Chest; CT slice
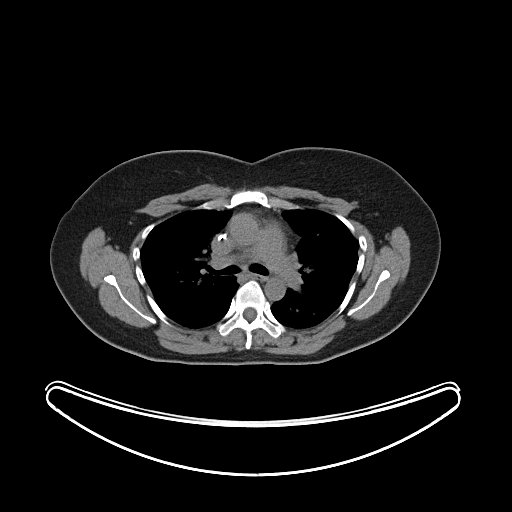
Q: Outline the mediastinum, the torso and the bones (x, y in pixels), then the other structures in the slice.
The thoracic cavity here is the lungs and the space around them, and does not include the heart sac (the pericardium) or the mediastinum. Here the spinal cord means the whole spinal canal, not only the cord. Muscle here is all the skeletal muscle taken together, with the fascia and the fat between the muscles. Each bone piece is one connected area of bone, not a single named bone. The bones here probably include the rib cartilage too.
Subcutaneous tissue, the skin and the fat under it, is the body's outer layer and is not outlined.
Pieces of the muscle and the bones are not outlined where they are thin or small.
A: The mediastinum is outlined by [[244,203],[284,209],[281,216],[299,236],[294,248],[294,266],[289,286],[283,297],[272,303],[266,298],[256,280],[250,279],[239,286],[236,277],[227,267],[220,269],[212,254],[210,242],[232,213],[229,209],[216,209],[222,207],[231,209]]. The torso is outlined by [[303,146],[352,150],[387,163],[421,195],[434,213],[441,237],[437,271],[411,315],[385,337],[314,364],[201,365],[154,361],[100,339],[78,319],[64,300],[51,273],[50,244],[62,215],[107,170],[128,159],[163,150],[207,150],[255,161],[274,152]]. The bones appear in 10 outlined pieces: piece 1: [[250,280],[254,280],[259,284],[265,298],[270,304],[272,314],[286,328],[286,330],[275,338],[264,329],[256,328],[251,333],[250,348],[246,349],[246,333],[243,329],[236,327],[228,334],[223,336],[219,333],[215,326],[227,312],[231,300],[238,288]], around a hole outlined by [[247,308],[252,308],[253,309],[254,309],[256,312],[256,315],[255,316],[255,317],[252,320],[251,320],[250,321],[249,321],[248,320],[247,320],[244,317],[244,316],[243,315],[243,313],[244,312],[244,311],[245,310],[245,309],[246,309]]; piece 2: [[243,190],[258,190],[265,193],[269,198],[276,197],[298,204],[302,207],[294,209],[285,209],[282,207],[266,207],[256,202],[244,202],[231,208],[226,208],[222,206],[212,209],[194,209],[193,208],[196,205],[210,200],[224,199],[228,201],[234,193]]; piece 3: [[109,274],[112,274],[114,275],[115,279],[123,295],[142,313],[147,316],[154,318],[156,320],[156,323],[154,324],[150,322],[145,318],[142,317],[124,302],[124,301],[120,297],[116,288],[113,285],[108,283],[104,280],[104,277],[106,275],[108,275]]; piece 4: [[385,269],[389,271],[389,273],[390,274],[389,275],[389,277],[380,282],[374,295],[365,305],[358,310],[355,311],[351,315],[349,315],[348,316],[347,315],[347,312],[350,309],[354,308],[362,303],[373,291],[374,286],[379,277],[380,273]]; piece 5: [[359,235],[363,235],[365,237],[367,247],[366,248],[366,250],[364,252],[364,261],[363,262],[362,269],[361,271],[358,274],[357,274],[355,271],[357,266],[357,262],[358,261],[359,253],[361,252],[361,250],[359,246],[359,242],[357,238]]; piece 6: [[147,294],[149,294],[151,296],[152,296],[153,299],[158,305],[160,309],[167,316],[168,318],[167,319],[169,321],[171,325],[168,325],[166,324],[164,322],[163,322],[156,315],[156,314],[151,308],[146,298],[146,295]]; piece 7: [[351,281],[355,281],[356,283],[355,285],[355,288],[354,289],[354,291],[347,305],[345,307],[345,308],[339,314],[337,314],[337,309],[340,305],[340,304],[342,302],[348,290],[348,288],[349,287],[349,285]]; piece 8: [[334,213],[338,213],[339,214],[340,214],[342,216],[343,216],[345,218],[346,218],[352,224],[352,225],[354,227],[354,229],[355,230],[355,231],[354,232],[354,234],[353,234],[351,232],[351,231],[343,222],[342,222],[337,217],[336,217],[333,214]]; piece 9: [[136,265],[138,265],[139,266],[140,266],[140,267],[141,268],[141,270],[142,271],[142,273],[144,276],[144,278],[145,279],[145,281],[146,282],[146,283],[144,285],[142,285],[139,282],[139,281],[136,276],[136,274],[135,273],[135,267],[136,266]]; piece 10: [[153,222],[156,224],[154,226],[154,227],[148,233],[148,234],[146,236],[146,237],[145,238],[145,239],[143,241],[141,238],[141,235],[142,234],[142,231],[143,230],[143,229],[148,224],[149,224],[150,223],[152,223]]. The muscle appears in 2 outlined pieces: piece 1: [[204,183],[247,189],[285,185],[315,190],[329,197],[359,201],[360,206],[352,210],[348,217],[369,230],[377,250],[385,235],[394,227],[401,225],[405,229],[410,241],[410,265],[404,283],[394,287],[389,301],[380,311],[366,319],[350,321],[330,342],[313,353],[276,354],[250,349],[252,333],[256,329],[262,329],[276,339],[287,328],[301,329],[315,326],[336,310],[336,314],[339,315],[355,291],[357,283],[351,280],[354,273],[358,275],[363,269],[367,240],[363,234],[356,237],[353,224],[338,212],[331,214],[317,208],[303,207],[276,196],[269,197],[258,189],[238,190],[228,200],[224,198],[206,200],[157,224],[151,222],[153,218],[136,209],[156,197],[179,193]]; inner edge: [[385,269],[389,271],[389,273],[390,274],[389,275],[389,277],[380,282],[374,295],[365,305],[358,310],[355,311],[351,315],[349,315],[348,316],[347,315],[347,312],[350,309],[354,308],[362,303],[373,291],[374,286],[379,277],[380,273]]; piece 2: [[97,225],[125,253],[142,229],[142,245],[131,252],[140,262],[134,273],[149,287],[151,295],[145,298],[163,323],[171,326],[169,318],[188,328],[215,324],[223,337],[239,328],[245,349],[181,353],[163,347],[151,329],[109,315],[79,268],[82,242]] with a hole at [[109,274],[112,274],[114,275],[115,279],[123,295],[142,313],[147,316],[154,318],[156,320],[156,323],[154,324],[150,322],[145,318],[142,317],[124,302],[124,301],[120,297],[116,288],[113,285],[108,283],[104,280],[104,277],[106,275],[108,275]]. The thoracic cavity appears in 2 outlined pieces: piece 1: [[190,209],[229,210],[231,213],[219,231],[212,236],[209,246],[211,248],[211,254],[219,269],[222,270],[227,268],[235,277],[238,287],[223,316],[215,323],[203,327],[184,326],[168,317],[154,299],[143,273],[140,261],[140,249],[155,226],[180,212]]; piece 2: [[302,208],[317,209],[337,218],[357,239],[359,251],[355,270],[347,290],[337,308],[325,319],[315,325],[294,328],[286,327],[275,317],[271,310],[271,304],[283,298],[290,286],[295,266],[295,248],[300,240],[300,236],[284,219],[282,213],[284,210]]. The spinal cord is outlined by [[247,308],[252,308],[253,309],[254,309],[256,312],[256,315],[255,316],[255,317],[252,320],[251,320],[250,321],[249,321],[248,320],[247,320],[244,317],[244,316],[243,315],[243,313],[244,312],[244,311],[245,310],[245,309],[246,309]].